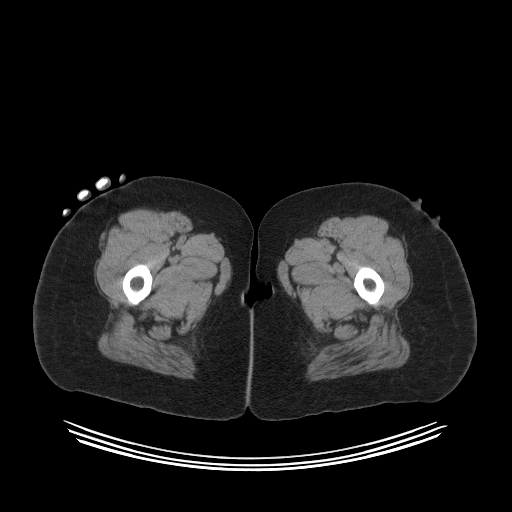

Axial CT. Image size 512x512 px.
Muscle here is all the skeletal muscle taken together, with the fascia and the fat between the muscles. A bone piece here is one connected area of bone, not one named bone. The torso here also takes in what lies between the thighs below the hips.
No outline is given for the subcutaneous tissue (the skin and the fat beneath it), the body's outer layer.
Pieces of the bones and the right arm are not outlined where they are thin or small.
{"right_leg":[[[148,175],[180,177],[219,189],[233,197],[242,206],[253,227],[248,292],[240,301],[188,417],[138,407],[84,392],[67,391],[58,387],[49,379],[42,369],[37,357],[33,339],[32,307],[34,294],[44,259],[59,229],[88,199],[127,181]]],"left_leg":[[[351,181],[376,183],[396,189],[419,203],[438,221],[451,238],[468,278],[476,310],[477,344],[471,363],[461,381],[449,394],[438,401],[384,403],[314,415],[264,299],[270,293],[271,285],[260,284],[256,277],[257,233],[265,213],[280,199],[304,189]]],"muscle":[{"outer":[[141,204],[165,204],[177,208],[198,226],[214,233],[229,247],[233,279],[228,283],[224,293],[207,308],[194,331],[198,369],[195,379],[165,375],[114,361],[98,349],[97,342],[109,312],[106,298],[95,288],[94,266],[100,255],[99,237],[111,217]],"hole":[[138,263],[147,264],[149,268],[150,273],[152,276],[152,288],[151,289],[151,291],[150,293],[137,305],[131,305],[128,302],[127,300],[127,298],[123,292],[123,290],[122,289],[122,279],[125,273],[131,267],[132,267],[134,265]]},{"outer":[[345,214],[382,217],[400,230],[410,243],[407,262],[412,285],[408,297],[397,309],[410,354],[406,363],[397,368],[309,381],[304,377],[304,371],[307,338],[313,331],[312,324],[302,308],[279,286],[276,264],[281,249],[291,239],[306,235],[328,216]],"hole":[[359,266],[369,266],[373,268],[380,275],[384,282],[384,291],[379,300],[378,304],[376,306],[371,305],[367,302],[366,302],[363,299],[362,299],[358,295],[356,290],[354,288],[354,286],[353,285],[353,281],[354,280],[355,275],[358,270]]}],"left_arm":[[[437,214],[438,214],[439,215],[440,215],[440,216],[441,217],[441,218],[440,219],[440,220],[439,220],[438,220],[437,219],[436,218],[435,217],[435,216],[435,215],[436,215]],[[419,198],[420,198],[421,199],[422,199],[422,200],[423,201],[423,202],[422,203],[422,204],[421,204],[420,203],[419,202],[418,202],[417,201],[416,200],[417,199],[418,199]]],"torso":[[[245,295],[245,300],[249,305],[252,305],[257,299],[263,298],[313,415],[309,415],[301,418],[290,420],[268,421],[267,420],[261,420],[257,418],[247,409],[240,417],[230,420],[206,420],[189,417],[236,314],[236,312],[241,303],[241,301]]],"right_arm":[[[103,176],[105,176],[106,177],[109,178],[109,179],[110,180],[110,183],[109,184],[108,189],[107,189],[104,191],[102,191],[101,190],[96,188],[94,185],[94,183],[95,182],[95,181],[96,181],[97,180],[99,180],[100,179],[100,178]],[[84,189],[87,189],[88,190],[89,190],[89,191],[90,192],[90,197],[89,198],[88,198],[86,200],[80,200],[79,199],[78,199],[78,198],[77,197],[77,195],[78,194],[78,193],[79,192],[80,192],[82,190],[83,190]]],"bones":[[[138,263],[147,264],[149,268],[150,273],[152,276],[152,288],[151,289],[151,291],[150,293],[137,305],[131,305],[128,302],[127,300],[127,298],[123,292],[123,290],[122,289],[122,279],[125,273],[131,267],[132,267],[134,265]],[[359,266],[369,266],[373,268],[380,275],[384,282],[384,291],[379,300],[378,304],[376,306],[371,305],[367,302],[366,302],[363,299],[362,299],[358,295],[356,290],[354,288],[354,286],[353,285],[353,281],[354,280],[355,275],[358,270]],[[102,178],[105,178],[106,179],[107,179],[107,182],[101,188],[98,188],[96,186],[96,183],[100,179],[101,179]]]}